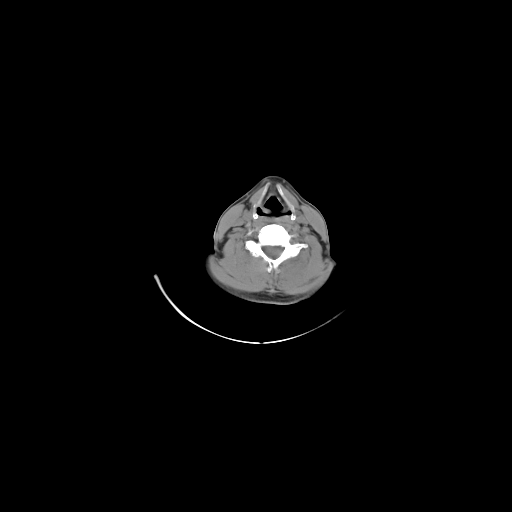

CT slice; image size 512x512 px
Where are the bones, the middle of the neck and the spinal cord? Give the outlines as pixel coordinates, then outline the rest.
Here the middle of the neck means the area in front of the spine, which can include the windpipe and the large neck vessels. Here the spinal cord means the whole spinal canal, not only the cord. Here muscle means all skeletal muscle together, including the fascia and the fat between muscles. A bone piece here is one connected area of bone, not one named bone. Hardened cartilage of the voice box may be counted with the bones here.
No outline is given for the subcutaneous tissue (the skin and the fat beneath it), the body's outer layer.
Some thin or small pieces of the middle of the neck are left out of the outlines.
The bones appear in 3 outlined pieces: piece 1: 268,223 282,225 289,233 296,234 295,239 298,242 307,245 296,256 284,260 278,266 277,272 274,269 268,271 268,263 260,256 253,256 245,247 245,241 249,237 246,234 249,229 252,229 252,234 255,235 with a hole at 264,246 280,246 281,247 282,247 283,248 283,249 282,250 282,251 279,254 279,255 277,257 275,257 274,258 273,258 272,257 270,257 269,256 268,256 264,252 264,251 263,250 263,249 262,248; piece 2: 277,184 279,184 285,197 291,203 291,204 294,208 294,214 295,215 295,218 293,220 291,219 291,213 292,211 291,209 288,206 288,205 286,203 284,199 279,193 277,189 277,187 276,186; piece 3: 267,183 269,184 266,190 266,192 263,196 260,202 255,207 255,212 256,213 256,218 254,218 253,217 253,211 254,210 253,209 253,205 259,199 262,193 263,188 264,186. The middle of the neck is outlined by 268,188 276,188 278,193 283,199 283,200 291,211 290,213 290,219 291,220 289,221 282,221 281,222 269,222 268,221 260,221 257,219 254,219 256,219 257,218 256,207 263,199 264,196 267,192 267,190. The spinal cord is outlined by 264,246 280,246 281,247 282,247 283,248 283,249 282,250 282,251 279,254 279,255 277,257 275,257 274,258 273,258 272,257 270,257 269,256 268,256 264,252 264,251 263,250 263,249 262,248. The muscle is outlined by 266,180 279,182 288,188 301,202 314,209 323,222 325,230 324,255 331,264 331,269 321,283 309,292 297,295 280,295 236,290 219,281 213,275 207,263 209,258 215,256 216,230 224,214 250,195; inner edge: 267,183 269,188 279,184 294,208 293,220 278,223 289,233 296,234 298,242 307,245 296,256 284,260 277,272 274,269 268,271 268,263 260,256 253,256 245,247 249,229 255,235 269,222 252,217 253,205. The head and neck is outlined by 270,174 285,178 304,198 319,209 327,224 330,254 337,262 335,273 332,279 323,289 309,299 288,305 256,303 229,295 210,281 203,267 203,261 206,253 213,249 213,232 220,214 228,205 247,191 260,178.